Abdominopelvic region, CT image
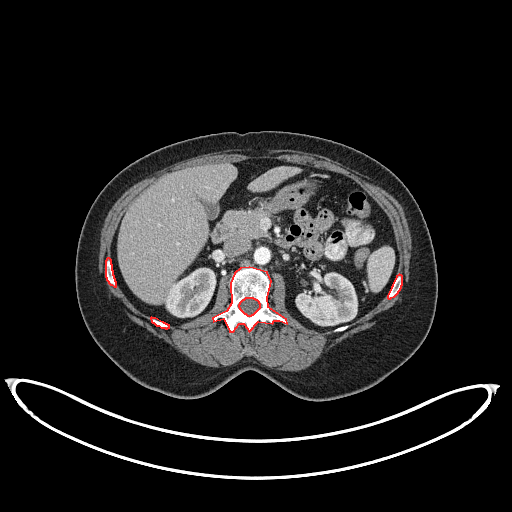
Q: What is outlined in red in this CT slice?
A: red: bones.
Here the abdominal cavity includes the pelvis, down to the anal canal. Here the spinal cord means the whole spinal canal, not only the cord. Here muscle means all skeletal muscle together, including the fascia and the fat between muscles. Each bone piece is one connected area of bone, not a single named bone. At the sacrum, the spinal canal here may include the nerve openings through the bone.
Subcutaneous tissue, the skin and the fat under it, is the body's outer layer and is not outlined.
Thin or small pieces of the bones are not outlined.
The bones appear in 4 outlined pieces: piece 1: 229 331; 233 331; 239 323; 243 323; 249 331; 258 321; 272 323; 274 320; 279 320; 287 323; 286 319; 268 307; 267 297; 271 281; 267 272; 249 267; 240 268; 234 273; 230 283; 231 303; 226 311; 212 318; 213 321; 223 318, around a hole outlined by 247 315; 251 315; 252 314; 253 314; 260 307; 260 304; 259 303; 259 302; 257 300; 256 300; 255 299; 254 299; 253 298; 245 298; 243 300; 242 300; 239 303; 239 304; 238 305; 238 306; 239 307; 239 308; 244 313; 245 313; piece 2: 114 286; 116 286; 116 282; 115 281; 115 279; 114 278; 114 276; 113 275; 113 271; 112 270; 112 265; 111 264; 111 260; 109 258; 107 258; 105 261; 105 276; 106 277; 106 279; 108 281; 108 282; 110 284; 111 284; piece 3: 388 298; 390 298; 391 297; 394 296; 398 292; 398 291; 400 289; 400 288; 401 287; 401 285; 402 284; 402 276; 401 275; 400 275; 399 274; 396 276; 396 277; 392 284; 392 286; 391 287; 391 288; 387 295; 387 297; piece 4: 165 328; 167 328; 168 327; 169 327; 169 325; 168 325; 167 324; 166 324; 165 323; 164 323; 163 322; 162 322; 155 318; 152 318; 151 317; 150 318; 151 321; 152 322; 153 322; 156 325; 158 325; 161 327; 164 327. The muscle is outlined by 282 371; 299 371; 308 367; 324 352; 326 352; 336 344; 353 334; 359 331; 367 329; 374 325; 376 322; 377 316; 383 311; 390 308; 400 299; 401 290; 403 285; 409 278; 409 264; 410 263; 410 256; 412 249; 410 231; 408 227; 407 219; 401 204; 390 193; 381 187; 370 183; 366 179; 367 178; 365 176; 355 170; 351 169; 349 167; 347 167; 335 160; 318 154; 304 152; 299 150; 292 150; 291 149; 270 150; 266 154; 261 154; 260 155; 247 155; 242 153; 240 151; 241 150; 239 149; 205 153; 188 158; 185 160; 178 161; 171 165; 166 166; 162 169; 154 172; 150 176; 138 181; 125 190; 111 206; 104 219; 100 233; 98 268; 99 272; 104 275; 105 282; 110 293; 119 299; 123 304; 125 308; 126 315; 128 318; 138 325; 144 327; 153 335; 161 338; 165 342; 174 347; 179 352; 185 355; 189 359; 201 365; 217 368; 221 366; 231 365; 237 362; 243 357; 246 356; 250 357; 251 356; 255 358; 263 365, around a hole outlined by 334 332; 346 329; 386 295; 394 296; 402 284; 402 276; 396 274; 398 253; 389 219; 350 178; 277 159; 213 162; 168 172; 138 195; 122 215; 112 242; 112 259; 105 261; 105 276; 110 284; 117 282; 156 325; 167 328; 207 312; 224 276; 230 280; 231 303; 213 321; 223 318; 229 331; 239 323; 249 331; 258 321; 287 323; 267 303; 271 274; 278 272; 286 283; 290 314; 308 328. The abdominal cavity is outlined by 320 331; 349 324; 374 307; 396 275; 389 219; 350 178; 277 159; 213 162; 168 172; 122 215; 111 247; 114 275; 147 315; 170 325; 194 319; 212 307; 222 277; 230 282; 238 268; 255 266; 271 280; 273 272; 280 273; 290 314. The spinal cord is outlined by 247 315; 251 315; 252 314; 253 314; 260 307; 260 304; 259 303; 259 302; 257 300; 256 300; 255 299; 254 299; 253 298; 245 298; 243 300; 242 300; 239 303; 239 304; 238 305; 238 306; 239 307; 239 308; 244 313; 245 313. The torso is outlined by 312 401; 336 399; 375 385; 405 363; 429 332; 437 303; 437 265; 426 221; 405 184; 382 163; 351 146; 279 130; 225 131; 184 139; 120 170; 91 204; 75 258; 79 309; 98 347; 134 381; 173 397; 208 395; 253 370; 289 393.